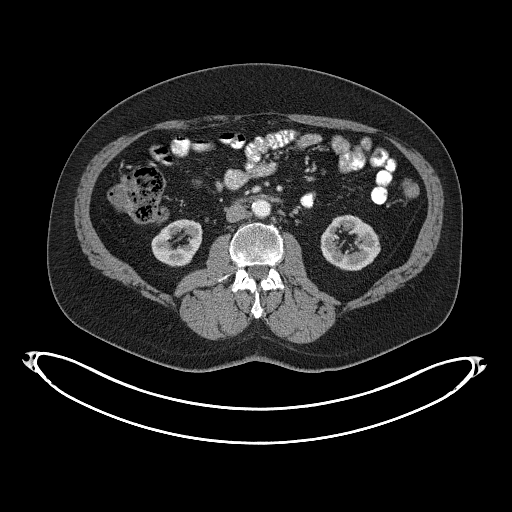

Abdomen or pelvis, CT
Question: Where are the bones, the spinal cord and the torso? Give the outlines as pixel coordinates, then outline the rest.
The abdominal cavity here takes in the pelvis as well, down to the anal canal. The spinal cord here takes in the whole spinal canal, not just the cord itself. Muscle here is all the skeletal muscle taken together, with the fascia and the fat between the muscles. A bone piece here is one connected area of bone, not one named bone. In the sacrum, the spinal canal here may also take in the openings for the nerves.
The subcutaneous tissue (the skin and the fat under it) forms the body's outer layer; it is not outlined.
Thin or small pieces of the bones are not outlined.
Answer: {"bones":[{"outer":[[255,318],[259,318],[263,313],[260,305],[260,291],[284,288],[276,269],[284,253],[283,239],[273,224],[261,222],[251,222],[240,226],[233,234],[229,245],[231,259],[236,264],[231,288],[234,292],[239,289],[248,289],[254,295],[251,312]],"hole":[[257,280],[258,280],[261,278],[263,278],[266,276],[266,275],[267,274],[267,271],[268,270],[268,266],[267,266],[266,265],[254,265],[253,266],[249,266],[248,267],[247,267],[247,270],[249,273],[249,275],[250,276],[253,277],[255,279],[256,279]]}],"spinal_cord":[[[257,280],[258,280],[261,278],[263,278],[266,276],[266,275],[267,274],[267,271],[268,270],[268,266],[267,266],[266,265],[254,265],[253,266],[249,266],[248,267],[247,267],[247,270],[249,273],[249,275],[250,276],[253,277],[255,279],[256,279]]],"torso":[[[188,372],[249,361],[303,372],[337,370],[393,350],[445,321],[460,281],[463,205],[451,157],[420,117],[386,95],[337,75],[295,65],[248,62],[160,81],[116,103],[88,127],[61,170],[51,203],[46,265],[53,296],[66,317],[82,330],[136,356]]],"muscle":[{"outer":[[298,344],[315,341],[345,313],[411,283],[429,261],[440,236],[444,198],[437,174],[418,151],[381,129],[356,121],[262,111],[163,121],[125,133],[94,155],[80,178],[74,202],[74,223],[85,260],[169,308],[201,337],[223,340],[242,332],[254,319],[250,312],[253,295],[248,290],[234,293],[230,288],[235,270],[228,252],[231,235],[218,236],[210,246],[206,267],[183,276],[172,294],[152,286],[104,246],[91,223],[91,192],[107,163],[154,129],[211,126],[262,114],[372,132],[395,145],[422,177],[428,197],[426,218],[405,263],[360,296],[341,302],[307,277],[298,242],[289,232],[282,232],[285,253],[277,269],[285,288],[261,291],[264,313],[259,319],[277,337]],"hole":[[217,281],[221,281],[222,280],[223,280],[224,279],[225,279],[228,276],[228,274],[226,274],[225,275],[224,275],[223,276],[222,276],[221,277],[219,277],[217,279]]}],"abdominal_cavity":[[[341,301],[360,295],[406,261],[427,211],[421,177],[382,136],[276,115],[160,129],[122,150],[98,176],[90,202],[98,235],[114,255],[163,291],[172,293],[183,275],[205,267],[218,235],[261,221],[273,223],[281,234],[292,233],[308,277]]]}